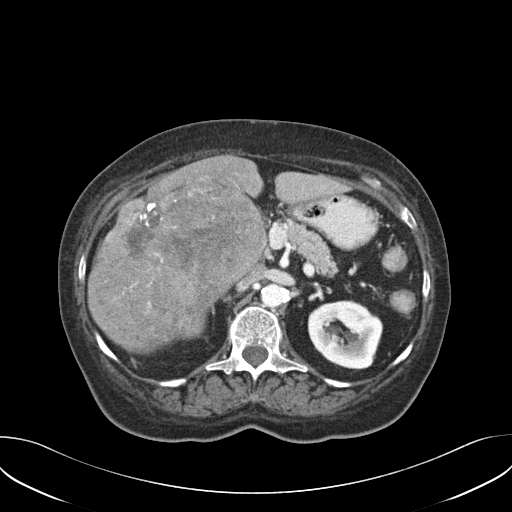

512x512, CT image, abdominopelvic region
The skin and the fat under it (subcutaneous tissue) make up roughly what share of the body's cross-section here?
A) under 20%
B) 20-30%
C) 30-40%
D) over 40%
B) 20-30%
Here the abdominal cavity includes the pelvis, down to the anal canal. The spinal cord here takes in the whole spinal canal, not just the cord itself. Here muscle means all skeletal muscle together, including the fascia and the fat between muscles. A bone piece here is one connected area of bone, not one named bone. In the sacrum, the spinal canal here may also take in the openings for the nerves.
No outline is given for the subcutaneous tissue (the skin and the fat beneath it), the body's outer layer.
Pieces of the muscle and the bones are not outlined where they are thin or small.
bones 1: 251 305; 261 306; 275 314; 282 332; 280 350; 292 360; 306 365; 307 371; 289 370; 280 374; 265 370; 254 382; 251 375; 244 370; 226 374; 222 370; 205 369; 206 364; 229 354; 231 350; 231 342; 228 337; 229 325; 236 313, around a hole outlined by 247 346; 261 346; 262 347; 263 347; 267 351; 267 356; 266 357; 266 358; 261 363; 260 363; 259 364; 258 364; 255 366; 254 366; 253 365; 252 365; 250 363; 249 363; 243 357; 243 356; 242 355; 242 353; 243 352; 243 350
bones 2: 398 202; 403 204; 405 206; 406 206; 409 209; 409 210; 413 215; 413 216; 416 221; 416 223; 417 224; 417 228; 416 229; 415 229; 414 230; 412 230; 398 216; 398 214; 397 213; 398 212; 398 208; 396 206; 396 204
bones 3: 95 330; 96 330; 99 333; 102 339; 105 342; 107 346; 119 359; 119 362; 117 362; 113 360; 110 357; 106 355; 100 349; 96 341; 96 339; 95 338; 95 335; 94 334; 94 332
bones 4: 423 268; 425 268; 427 270; 427 271; 429 274; 429 279; 430 280; 430 289; 429 290; 429 293; 428 294; 428 297; 427 298; 427 300; 426 301; 425 301; 424 300; 424 299; 423 298; 423 296; 422 295; 422 270; 423 269
bones 5: 183 377; 184 377; 186 379; 186 382; 184 384; 182 385; 180 385; 179 386; 177 386; 176 387; 171 387; 170 386; 162 386; 158 384; 158 381; 160 380; 169 380; 173 378; 182 378
bones 6: 83 253; 84 253; 86 255; 86 267; 85 268; 85 279; 84 280; 84 281; 83 282; 81 282; 79 280; 79 279; 78 278; 78 266; 79 265; 79 261; 80 260; 80 257; 81 256; 81 255
bones 7: 411 341; 412 341; 413 342; 413 346; 412 347; 412 348; 411 349; 411 350; 410 351; 410 352; 409 353; 409 354; 403 360; 402 360; 397 364; 396 364; 395 365; 391 365; 391 363; 396 358; 396 357; 407 346; 407 345
bones 8: 324 377; 326 377; 327 378; 331 378; 332 379; 335 379; 336 380; 340 380; 341 381; 345 381; 346 382; 351 382; 352 383; 352 384; 350 386; 348 386; 347 387; 334 387; 333 386; 331 386; 330 385; 328 385; 323 380; 323 378
bones 9: 122 191; 123 191; 123 192; 122 192; 121 193; 121 194; 120 195; 120 197; 114 203; 114 204; 109 209; 108 209; 107 210; 106 210; 105 209; 105 205; 108 202; 108 201; 114 195; 115 195; 116 194; 117 194; 119 192; 121 192
muscle: 210 148; 235 148; 241 149; 250 153; 258 153; 262 155; 271 153; 313 155; 320 157; 341 159; 355 163; 364 164; 377 168; 391 178; 396 180; 401 184; 402 187; 406 190; 415 202; 417 211; 423 221; 423 224; 428 236; 429 247; 433 258; 433 265; 435 274; 435 281; 434 282; 435 297; 431 320; 429 323; 429 328; 427 330; 426 336; 423 340; 423 344; 417 353; 417 355; 412 360; 409 366; 406 367; 399 375; 369 398; 335 414; 325 416; 317 416; 313 418; 312 417; 308 418; 306 417; 290 417; 285 415; 278 415; 270 412; 265 407; 258 403; 249 402; 228 413; 218 415; 215 417; 177 420; 149 411; 147 412; 131 403; 122 393; 120 389; 99 368; 98 364; 96 363; 97 362; 95 361; 86 343; 85 340; 86 337; 78 321; 75 305; 71 292; 72 291; 72 276; 73 275; 74 243; 83 223; 87 216; 103 196; 120 182; 124 181; 128 176; 139 172; 145 168; 149 168; 156 165; 174 156; 181 155; 184 153; 192 151, around holes outlined by 224 154; 332 176; 396 216; 398 202; 409 209; 417 224; 409 232; 429 274; 430 289; 427 300; 422 299; 413 346; 403 360; 350 386; 334 387; 292 348; 283 327; 280 350; 307 371; 265 370; 254 382; 244 370; 206 370; 206 364; 229 354; 227 336; 212 356; 184 376; 184 384; 171 387; 136 373; 100 349; 86 306; 85 282; 78 278; 81 255; 88 258; 99 231; 124 201; 187 164 and by 122 191; 123 191; 123 192; 122 192; 121 193; 121 194; 120 195; 120 197; 114 203; 114 204; 109 209; 108 209; 107 210; 106 210; 105 209; 105 205; 108 202; 108 201; 114 195; 115 195; 116 194; 117 194; 119 192; 121 192 and by 370 178; 377 178; 380 181; 380 182; 381 183; 381 188; 378 188; 377 187; 374 187; 372 185; 371 185; 369 183; 368 183; 366 181; 366 180; 367 179; 369 179
torso: 220 118; 299 121; 361 136; 395 155; 427 192; 445 238; 451 303; 441 347; 429 375; 405 413; 387 427; 316 443; 289 442; 253 428; 209 442; 165 442; 120 429; 94 401; 59 313; 57 260; 68 214; 91 179; 137 143; 178 125
abdominal cavity: 224 154; 332 176; 381 202; 409 228; 422 267; 420 319; 410 341; 383 369; 354 381; 327 377; 292 348; 273 311; 253 304; 235 313; 219 349; 182 377; 142 376; 108 346; 92 323; 85 300; 87 259; 99 231; 127 199; 187 164
spinal cord: 247 346; 261 346; 262 347; 263 347; 267 351; 267 356; 266 357; 266 358; 261 363; 260 363; 259 364; 258 364; 255 366; 254 366; 253 365; 252 365; 250 363; 249 363; 243 357; 243 356; 242 355; 242 353; 243 352; 243 350